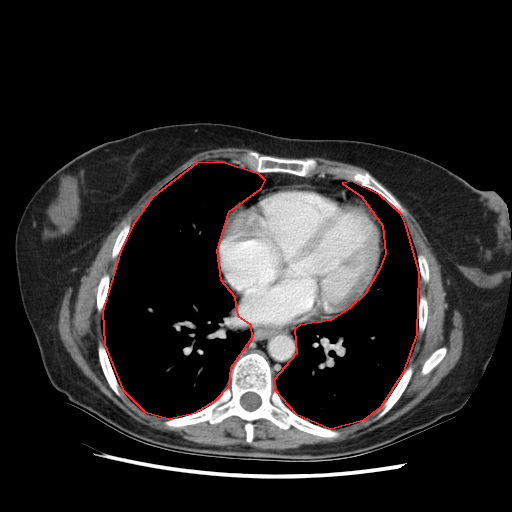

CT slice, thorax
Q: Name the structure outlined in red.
A: red: thoracic cavity.
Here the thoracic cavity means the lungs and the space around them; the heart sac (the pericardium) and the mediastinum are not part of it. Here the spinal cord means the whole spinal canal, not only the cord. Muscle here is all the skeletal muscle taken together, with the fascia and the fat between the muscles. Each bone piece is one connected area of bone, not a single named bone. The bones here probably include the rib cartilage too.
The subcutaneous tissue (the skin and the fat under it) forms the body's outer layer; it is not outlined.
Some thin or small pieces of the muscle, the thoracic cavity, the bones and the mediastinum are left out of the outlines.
thoracic cavity 1: (168, 418) (195, 412) (215, 400) (229, 385) (231, 367) (252, 337) (251, 325) (238, 316) (235, 297) (221, 280) (217, 250) (229, 211) (261, 188) (265, 180) (259, 174) (222, 162) (196, 163) (152, 197) (132, 225) (120, 251) (102, 311) (104, 344) (122, 389) (144, 411)
thoracic cavity 2: (330, 428) (364, 419) (381, 406) (404, 371) (417, 334) (419, 272) (405, 223) (400, 213) (380, 195) (351, 181) (342, 183) (361, 196) (382, 225) (385, 253) (379, 269) (365, 293) (349, 308) (330, 320) (299, 325) (294, 329) (296, 353) (273, 380) (274, 389) (295, 413)
bones 1: (248, 443) (253, 439) (252, 422) (259, 418) (268, 419) (282, 429) (294, 426) (322, 437) (336, 437) (339, 432) (295, 414) (273, 389) (265, 358) (249, 353) (235, 361) (230, 385) (215, 401) (195, 413) (164, 421) (175, 427) (201, 421) (215, 424) (236, 415) (247, 421), around a hole outlined by (247, 410) (253, 410) (254, 409) (257, 408) (260, 405) (260, 404) (261, 403) (261, 400) (260, 399) (260, 397) (256, 393) (255, 393) (254, 392) (247, 392) (246, 393) (243, 394) (242, 395) (242, 396) (240, 399) (240, 403) (241, 404) (241, 405) (245, 409) (246, 409)
bones 2: (300, 176) (308, 176) (315, 173) (318, 166) (318, 163) (313, 158) (308, 158) (305, 160) (299, 158) (283, 158) (282, 157) (276, 157) (270, 155) (261, 155) (256, 151) (250, 151) (242, 157) (242, 160) (246, 165) (250, 169) (256, 172) (287, 172) (288, 173) (291, 173)
bones 3: (401, 213) (403, 209) (397, 199) (368, 172) (361, 173) (354, 170) (342, 169) (341, 168) (335, 168) (333, 170) (332, 173) (334, 173) (335, 174) (337, 173) (344, 173) (348, 176) (348, 178) (347, 179) (357, 182) (363, 186) (368, 187) (374, 190) (391, 203)
bones 4: (377, 418) (379, 418) (384, 415) (393, 406) (393, 405) (401, 396) (407, 384) (409, 382) (409, 380) (413, 372) (413, 368) (411, 365) (408, 365) (407, 366) (405, 371) (403, 373) (397, 385) (392, 391) (387, 399) (383, 403) (382, 405) (382, 410) (378, 414)
bones 5: (117, 395) (120, 395) (122, 390) (115, 377) (115, 375) (111, 367) (111, 365) (110, 364) (110, 362) (109, 361) (105, 347) (103, 343) (100, 341) (98, 343) (98, 346) (97, 347) (97, 351) (98, 352) (99, 361) (100, 362) (102, 370) (104, 373) (104, 375) (110, 387)
bones 6: (99, 311) (101, 311) (102, 310) (102, 308) (103, 307) (103, 305) (104, 304) (104, 302) (105, 301) (105, 299) (107, 295) (108, 287) (109, 286) (110, 275) (107, 273) (105, 273) (101, 277) (100, 281) (98, 284) (98, 287) (97, 288) (97, 297) (96, 298) (96, 305)
bones 7: (422, 374) (427, 374) (429, 372) (430, 372) (433, 369) (433, 368) (436, 365) (437, 365) (438, 363) (439, 363) (441, 361) (441, 360) (444, 357) (446, 353) (446, 348) (445, 347) (441, 347) (435, 350) (424, 362) (422, 366) (422, 370) (421, 371) (422, 372)
bones 8: (419, 332) (421, 332) (422, 331) (423, 331) (423, 330) (425, 328) (425, 325) (426, 324) (426, 322) (427, 321) (427, 310) (428, 309) (428, 306) (427, 305) (427, 301) (426, 300) (426, 298) (424, 295) (420, 295) (419, 296) (419, 321) (418, 322) (418, 331)
bones 9: (114, 258) (116, 258) (117, 257) (119, 253) (119, 251) (127, 236) (127, 234) (131, 226) (131, 224) (130, 222) (124, 225) (124, 226) (119, 232) (115, 240) (115, 243) (113, 246) (113, 248) (112, 249) (112, 254) (111, 255) (112, 257)
bones 10: (426, 282) (428, 281) (429, 279) (429, 269) (428, 268) (428, 263) (424, 255) (423, 255) (421, 253) (418, 253) (417, 254) (417, 258) (418, 259) (418, 263) (419, 264) (419, 271) (420, 272) (420, 277) (422, 280)
torso: (278, 461) (323, 461) (369, 453) (436, 425) (463, 405) (493, 351) (510, 289) (511, 236) (503, 199) (429, 159) (389, 146) (291, 138) (224, 123) (145, 129) (101, 143) (65, 163) (33, 194) (15, 233) (21, 301) (52, 385) (67, 396) (68, 403) (145, 444) (194, 455)
mediastinum 1: (273, 379) (275, 378) (277, 372) (291, 359) (295, 353) (296, 344) (292, 334) (293, 329) (299, 324) (310, 323) (297, 324) (293, 326) (273, 326) (262, 323) (250, 323) (252, 325) (250, 327) (253, 330) (253, 337) (237, 358) (249, 352) (257, 352) (263, 355) (270, 364)
mediastinum 2: (238, 203) (250, 203) (250, 200) (253, 197) (255, 199) (262, 190) (278, 183) (292, 181) (304, 181) (337, 187) (345, 189) (349, 194) (360, 196) (341, 183) (342, 180) (349, 180) (338, 179) (329, 175) (300, 177) (287, 173) (256, 173) (261, 174) (265, 178) (265, 185)
spinal cord: (247, 410) (253, 410) (254, 409) (257, 408) (260, 405) (260, 404) (261, 403) (261, 400) (260, 399) (260, 397) (256, 393) (255, 393) (254, 392) (247, 392) (246, 393) (243, 394) (242, 395) (242, 396) (240, 399) (240, 403) (241, 404) (241, 405) (245, 409) (246, 409)
pericardium: (273, 325) (293, 325) (330, 319) (354, 303) (367, 289) (383, 255) (384, 240) (380, 222) (361, 198) (337, 188) (292, 182) (272, 186) (262, 191) (250, 204) (238, 204) (231, 210) (220, 236) (218, 250) (223, 281) (238, 298) (237, 310) (240, 317) (250, 322)
muscle 1: (277, 450) (356, 438) (407, 412) (457, 362) (463, 343) (462, 318) (456, 309) (448, 315) (446, 313) (448, 303) (440, 264) (419, 224) (398, 199) (404, 209) (401, 214) (415, 249) (417, 253) (424, 254) (429, 263) (429, 281) (426, 283) (420, 278) (419, 281) (419, 295) (426, 296) (429, 309) (426, 328) (418, 332) (408, 363) (414, 368) (413, 375) (402, 396) (384, 416) (376, 418) (380, 407) (364, 420) (335, 429) (340, 432) (336, 438) (314, 436) (294, 427) (282, 430) (268, 420) (259, 419) (253, 422) (254, 439) (248, 444) (244, 430) (246, 421) (236, 416) (215, 425) (201, 422) (178, 428) (168, 427) (163, 424) (167, 418) (144, 412) (123, 391) (117, 396) (109, 387) (97, 357) (97, 343) (100, 340) (103, 342) (101, 312) (95, 305) (97, 284) (105, 272) (112, 274) (116, 259) (111, 257) (111, 249) (120, 229) (129, 221) (132, 224) (151, 197) (173, 177) (190, 165) (206, 160) (248, 168) (241, 157) (253, 150) (244, 147) (210, 149) (192, 156) (158, 180) (115, 224) (86, 272) (66, 291) (58, 330) (65, 348) (83, 373) (139, 423) (174, 432) (205, 445) (242, 444) with a hole at (422, 374) (427, 374) (429, 372) (430, 372) (433, 369) (433, 368) (436, 365) (437, 365) (438, 363) (439, 363) (441, 361) (441, 360) (444, 357) (446, 353) (446, 348) (445, 347) (441, 347) (435, 350) (424, 362) (422, 366) (422, 370) (421, 371) (422, 372)
muscle 2: (346, 179) (347, 176) (344, 174) (335, 175) (331, 173) (335, 167) (354, 169) (361, 172) (367, 171) (364, 168) (348, 163) (327, 159) (323, 157) (307, 157) (300, 158) (305, 159) (306, 158) (308, 157) (313, 157) (314, 158) (319, 163) (318, 169) (316, 173) (314, 174) (318, 175) (329, 174) (334, 177)